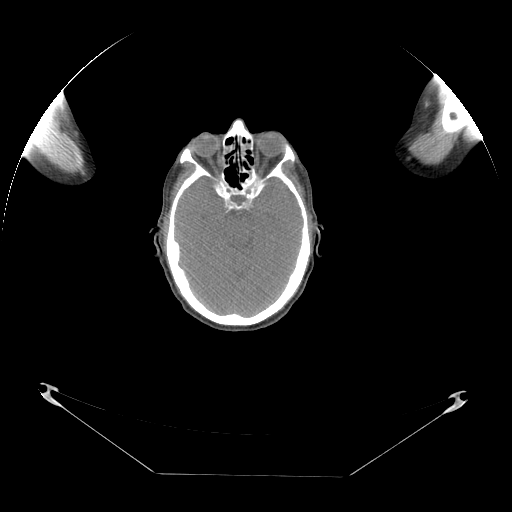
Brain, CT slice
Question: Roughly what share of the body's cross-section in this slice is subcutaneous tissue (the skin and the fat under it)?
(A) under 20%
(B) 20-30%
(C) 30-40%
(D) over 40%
Answer: (B) 20-30%
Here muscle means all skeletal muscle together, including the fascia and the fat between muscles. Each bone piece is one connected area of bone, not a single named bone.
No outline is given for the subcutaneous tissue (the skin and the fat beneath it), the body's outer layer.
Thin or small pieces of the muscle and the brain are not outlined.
{"right_arm":[[[59,94],[64,96],[67,100],[72,110],[75,120],[88,142],[92,156],[96,164],[96,171],[94,176],[89,181],[79,186],[61,185],[44,177],[30,165],[26,159],[26,154],[25,153],[24,154],[25,146],[32,131],[50,103],[53,99]]],"left_arm":[[[434,74],[443,80],[463,104],[475,122],[480,132],[481,137],[479,138],[478,144],[469,153],[455,171],[451,174],[439,179],[426,179],[414,175],[409,172],[396,159],[394,155],[393,147],[396,141],[409,126],[417,99],[426,82],[430,78],[432,78]]],"bones":[{"outer":[[236,118],[241,118],[248,130],[253,133],[253,159],[249,154],[247,159],[251,163],[253,161],[261,176],[283,157],[285,143],[291,147],[295,160],[293,162],[285,161],[282,164],[282,170],[295,186],[304,204],[310,242],[306,270],[292,297],[277,312],[250,325],[220,324],[194,310],[176,286],[166,255],[170,207],[183,181],[195,168],[189,161],[179,162],[183,149],[188,146],[192,157],[216,176],[222,169],[222,136]],"holes":[[[202,177],[213,181],[212,188],[222,199],[226,213],[250,210],[254,200],[272,178],[277,178],[287,187],[298,206],[302,223],[293,268],[275,299],[252,314],[219,313],[209,308],[194,293],[186,272],[179,263],[181,251],[175,238],[176,211],[185,190]],[[232,164],[233,164],[235,166],[235,171],[236,172],[236,176],[237,177],[237,181],[236,182],[236,183],[235,184],[232,184],[226,178],[226,174],[225,173],[225,170],[227,168],[228,168]]]},[[453,92],[457,96],[457,97],[463,104],[465,108],[468,111],[468,118],[462,125],[461,127],[461,129],[459,131],[456,131],[455,132],[448,133],[447,132],[445,132],[443,130],[443,128],[441,124],[441,116],[442,115],[442,108],[444,105],[444,103]]],"muscle":[[[57,95],[59,96],[61,111],[80,145],[81,156],[82,157],[82,165],[81,166],[80,174],[78,173],[74,175],[68,174],[62,172],[60,170],[55,168],[50,163],[47,162],[39,153],[36,151],[34,146],[32,144],[27,141],[41,116],[53,99]],[[439,77],[452,91],[441,108],[440,124],[442,130],[448,134],[459,132],[469,118],[469,113],[475,122],[481,137],[479,140],[471,143],[462,143],[441,163],[437,165],[425,165],[410,156],[407,150],[407,145],[424,129],[424,126],[433,115],[438,96]],[[185,162],[191,163],[194,168],[182,181],[175,193],[169,207],[168,223],[165,237],[166,261],[164,253],[162,250],[161,239],[162,238],[163,217],[166,209],[167,191],[170,180],[172,178],[172,174],[176,170],[176,168],[178,167],[178,163],[182,164]],[[296,159],[297,168],[301,172],[301,179],[305,186],[305,190],[309,201],[309,208],[312,215],[313,222],[312,229],[314,238],[313,239],[313,250],[310,257],[311,242],[306,207],[296,188],[296,186],[283,170],[283,164],[285,162],[290,161],[293,163]]],"head":[{"outer":[[239,117],[251,133],[276,129],[291,141],[308,172],[313,206],[323,225],[318,249],[322,256],[314,259],[302,294],[282,318],[256,330],[224,331],[184,311],[158,259],[153,256],[154,233],[149,230],[161,210],[165,176],[182,146],[201,131],[224,134]],"hole":[[232,164],[233,164],[235,166],[235,171],[236,172],[236,176],[237,177],[237,181],[236,182],[236,183],[235,184],[232,184],[226,178],[226,174],[225,173],[225,170],[227,168],[228,168]]}],"brain":[[[202,177],[213,181],[212,188],[222,199],[226,213],[250,210],[254,200],[272,178],[277,178],[287,187],[298,206],[302,223],[293,268],[275,299],[252,314],[219,313],[209,308],[194,293],[186,272],[179,263],[181,251],[175,238],[176,211],[185,190]]]}